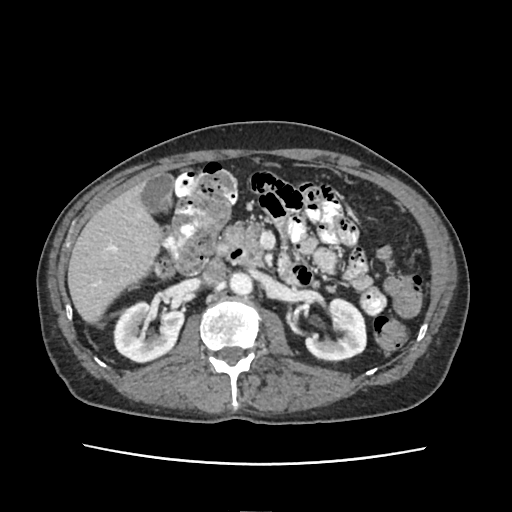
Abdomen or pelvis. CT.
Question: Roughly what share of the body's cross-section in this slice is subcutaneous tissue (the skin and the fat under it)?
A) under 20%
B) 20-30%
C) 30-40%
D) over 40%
Answer: A) under 20%
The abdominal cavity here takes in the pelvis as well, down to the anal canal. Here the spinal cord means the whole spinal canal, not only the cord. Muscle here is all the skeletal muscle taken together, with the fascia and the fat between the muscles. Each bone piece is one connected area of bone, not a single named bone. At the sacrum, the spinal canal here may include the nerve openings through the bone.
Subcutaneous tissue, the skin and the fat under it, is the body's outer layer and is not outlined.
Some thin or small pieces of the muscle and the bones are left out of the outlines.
The spinal cord is outlined by 230,365 233,365 235,364 236,362 240,358 245,356 245,351 241,348 239,347 237,347 236,346 234,346 233,347 224,347 222,349 218,351 216,353 216,356 218,358 224,360 228,364. The muscle is outlined by 265,416 329,405 392,383 404,377 427,351 449,308 458,278 452,243 434,209 391,173 350,155 315,148 177,153 127,168 95,186 66,214 49,254 47,287 57,325 80,364 100,382 149,407 193,413 233,410 228,376 214,372 207,361 198,333 200,314 188,317 180,341 168,356 134,370 101,367 79,339 73,320 65,315 64,305 69,299 64,274 69,249 62,244 72,220 72,242 98,206 146,175 183,164 252,153 336,166 383,187 416,217 433,261 424,338 370,376 343,373 295,360 279,316 259,307 262,324 256,340 257,356 250,369 239,375 237,410. The bones appear in 2 outlined pieces: piece 1: 234,410 238,408 236,399 237,378 241,372 249,369 256,356 254,352 255,340 261,324 261,316 255,305 248,299 237,296 223,298 208,307 202,313 199,325 200,337 207,348 208,361 214,371 224,372 230,378, around a hole outlined by 230,365 233,365 235,364 236,362 240,358 245,356 245,351 241,348 239,347 237,347 236,346 234,346 233,347 224,347 222,349 218,351 216,353 216,356 218,358 224,360 228,364; piece 2: 103,367 107,367 107,364 106,364 103,361 102,361 99,358 98,358 97,357 97,356 96,356 95,355 94,356 94,359 101,366 102,366. The abdominal cavity is outlined by 355,373 386,363 415,342 432,279 429,246 417,220 393,195 370,181 326,164 269,154 183,165 146,176 104,202 71,245 65,285 75,327 80,339 109,365 134,369 168,355 189,315 237,295 280,316 295,359. The torso is outlined by 270,425 363,419 401,412 427,399 445,379 461,342 470,301 469,271 459,237 433,196 414,177 367,146 294,121 214,124 128,157 63,207 45,239 36,270 41,337 57,375 86,404 157,419 194,423 242,419.